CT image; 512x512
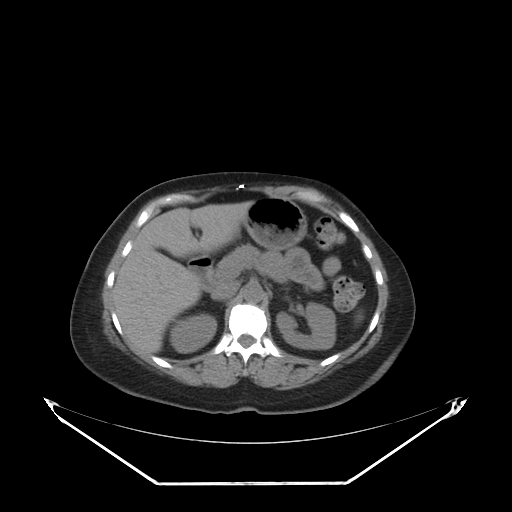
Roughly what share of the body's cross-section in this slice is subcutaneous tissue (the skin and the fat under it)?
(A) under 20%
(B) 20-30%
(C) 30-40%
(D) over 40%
Answer: (B) 20-30%
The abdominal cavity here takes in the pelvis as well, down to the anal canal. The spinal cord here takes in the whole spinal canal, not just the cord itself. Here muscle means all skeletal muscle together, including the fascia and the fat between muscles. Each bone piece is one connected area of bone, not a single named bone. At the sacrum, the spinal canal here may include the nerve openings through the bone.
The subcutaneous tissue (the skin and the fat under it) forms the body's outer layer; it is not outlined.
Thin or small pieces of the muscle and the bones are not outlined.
{"abdominal_cavity":[[[231,190],[294,199],[341,221],[353,232],[377,285],[375,310],[356,341],[322,359],[289,353],[276,345],[265,310],[251,302],[235,303],[229,310],[228,326],[216,344],[192,357],[161,357],[126,337],[114,310],[112,287],[140,228],[165,206],[202,202]]],"bones":[{"outer":[[238,303],[251,303],[264,310],[268,323],[264,334],[279,348],[283,355],[282,357],[271,354],[262,357],[254,353],[244,363],[241,355],[237,352],[233,352],[230,356],[227,356],[223,351],[217,354],[210,352],[222,335],[229,331],[228,321],[230,310]],"hole":[[243,334],[247,334],[248,335],[249,335],[250,336],[251,336],[252,337],[253,337],[255,339],[255,341],[253,343],[252,343],[249,346],[248,346],[247,347],[244,347],[238,341],[238,339],[239,338],[239,337],[241,335],[242,335]]},[[172,193],[190,195],[192,197],[190,200],[188,200],[181,203],[177,203],[176,204],[170,204],[169,205],[160,205],[155,208],[151,216],[140,227],[137,227],[136,226],[136,222],[139,215],[149,204],[150,204],[153,201],[158,199],[160,197],[162,197]],[[300,190],[309,190],[310,191],[313,191],[314,192],[316,192],[320,195],[321,195],[324,198],[324,200],[320,202],[315,202],[314,203],[312,203],[311,202],[308,202],[307,201],[304,201],[301,199],[299,199],[297,197],[296,197],[296,193]],[[339,211],[344,211],[350,215],[350,216],[353,219],[353,220],[356,223],[356,224],[357,225],[357,226],[359,229],[359,230],[357,232],[354,232],[347,225],[346,225],[340,219],[340,217],[341,216],[341,215],[338,212]],[[376,309],[378,309],[379,310],[379,318],[378,319],[378,321],[377,322],[375,327],[373,329],[373,330],[371,332],[368,332],[368,330],[367,329],[368,328],[368,326],[370,323],[370,321],[371,320],[371,319],[374,314],[374,312],[376,310]],[[338,352],[339,352],[340,353],[340,355],[339,356],[339,357],[334,362],[333,362],[332,363],[330,363],[329,364],[327,364],[324,366],[321,366],[319,364],[319,363],[323,359],[324,359],[325,358],[326,358],[327,357],[328,357],[333,354],[335,354]],[[152,355],[154,355],[155,356],[157,356],[158,357],[160,357],[161,358],[163,358],[166,361],[167,361],[169,363],[170,363],[172,365],[172,367],[171,368],[168,368],[167,367],[163,367],[162,366],[160,366],[158,364],[157,364],[151,358],[151,356]],[[113,311],[115,312],[117,316],[117,319],[119,322],[119,324],[123,332],[123,334],[122,335],[121,335],[118,332],[118,331],[116,329],[113,323],[113,321],[112,320],[112,317],[111,316],[111,313]],[[129,240],[130,240],[132,242],[132,245],[131,246],[131,249],[129,251],[129,252],[124,257],[123,257],[121,255],[121,252],[122,251],[122,250],[123,249],[123,248],[124,247],[124,246],[125,245],[125,244],[127,242],[127,241],[128,241]],[[362,244],[366,244],[368,246],[368,247],[370,249],[370,250],[371,251],[371,254],[372,255],[372,256],[371,257],[371,258],[370,258],[369,259],[368,259],[365,256],[365,255],[364,254],[364,253],[363,252],[363,251],[362,250]]],"spinal_cord":[[[243,334],[247,334],[248,335],[249,335],[250,336],[251,336],[252,337],[253,337],[255,339],[255,341],[253,343],[252,343],[249,346],[248,346],[247,347],[244,347],[238,341],[238,339],[239,338],[239,337],[241,335],[242,335]]],"torso":[[[234,170],[306,176],[341,192],[365,212],[408,272],[415,297],[410,336],[387,373],[346,402],[327,409],[281,415],[262,415],[255,411],[213,414],[185,409],[117,389],[90,372],[73,349],[69,317],[78,280],[93,247],[120,211],[138,194],[160,182]]],"muscle":[[[162,195],[165,195],[153,200],[140,212],[135,222],[135,226],[139,228],[135,239],[133,242],[130,239],[126,241],[120,252],[123,259],[117,271],[112,269],[105,280],[106,286],[112,289],[113,310],[110,316],[115,329],[132,344],[151,354],[150,358],[157,365],[171,369],[173,365],[164,358],[183,360],[208,351],[212,355],[223,352],[227,357],[237,353],[243,363],[246,364],[254,354],[262,358],[268,355],[282,358],[284,355],[280,349],[292,355],[321,360],[318,363],[321,367],[334,363],[340,357],[340,352],[356,342],[366,330],[371,333],[380,318],[380,310],[376,307],[378,303],[378,286],[384,283],[383,275],[378,267],[375,267],[373,271],[369,261],[373,256],[372,251],[366,243],[361,243],[354,233],[357,233],[360,229],[351,215],[373,243],[388,277],[389,296],[382,334],[378,342],[361,357],[345,364],[324,378],[286,390],[262,387],[248,378],[242,378],[237,383],[224,388],[187,385],[168,379],[137,363],[112,345],[103,333],[101,292],[105,269],[122,235],[141,207],[149,200]],{"outer":[[227,185],[310,186],[330,197],[349,213],[344,210],[339,210],[337,212],[340,215],[339,220],[315,206],[305,204],[294,198],[273,197],[261,192],[237,192],[231,189],[227,191],[218,191],[202,201],[185,202],[190,201],[193,198],[190,194],[174,192]],"hole":[[300,190],[309,190],[310,191],[313,191],[314,192],[316,192],[320,195],[321,195],[324,198],[324,200],[320,202],[315,202],[314,203],[312,203],[311,202],[308,202],[307,201],[304,201],[301,199],[299,199],[297,197],[296,197],[296,193]]}]}